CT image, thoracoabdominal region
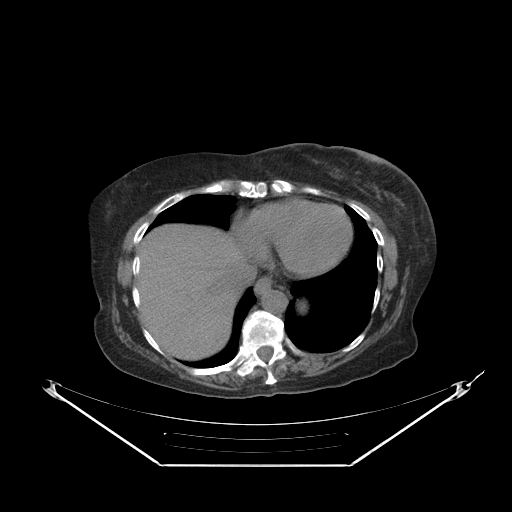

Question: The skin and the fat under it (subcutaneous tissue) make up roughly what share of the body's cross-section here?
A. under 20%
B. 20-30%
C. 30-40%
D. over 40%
Answer: C. 30-40%
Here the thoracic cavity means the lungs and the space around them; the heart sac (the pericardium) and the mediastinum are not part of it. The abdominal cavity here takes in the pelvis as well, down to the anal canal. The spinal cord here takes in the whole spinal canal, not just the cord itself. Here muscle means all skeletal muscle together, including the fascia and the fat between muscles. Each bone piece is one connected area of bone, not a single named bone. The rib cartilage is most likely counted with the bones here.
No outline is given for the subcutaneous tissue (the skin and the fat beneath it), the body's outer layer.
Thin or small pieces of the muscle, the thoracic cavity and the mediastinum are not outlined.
{"torso":[[[294,142],[374,153],[401,168],[422,192],[435,227],[437,256],[413,315],[418,339],[415,353],[391,368],[342,386],[245,399],[180,392],[133,377],[111,364],[93,332],[99,302],[90,277],[86,214],[94,196],[126,172],[159,157],[197,151],[244,154]]],"mediastinum":[[[258,267],[262,269],[265,269],[277,276],[281,276],[288,280],[298,280],[294,280],[290,283],[289,293],[292,298],[289,301],[283,320],[279,316],[264,309],[256,309],[248,313],[251,307],[256,302],[256,297],[253,292],[252,284],[256,277],[256,271]],[[229,193],[252,199],[264,198],[269,194],[272,195],[284,195],[285,194],[294,193],[305,193],[315,196],[323,196],[331,199],[312,197],[301,194],[297,195],[286,194],[285,195],[249,201],[240,205],[233,214],[231,218],[230,227],[230,216],[236,208],[237,200],[235,196],[231,194],[226,194]]],"spinal_cord":[[[263,346],[270,346],[272,348],[272,354],[271,355],[271,356],[270,357],[270,358],[267,361],[265,361],[264,360],[263,360],[262,359],[261,359],[260,358],[260,357],[258,355],[258,354],[257,353],[257,351],[261,347],[262,347]]],"muscle":[[[272,177],[279,177],[315,185],[367,205],[383,220],[396,241],[398,270],[402,272],[407,266],[409,267],[406,294],[401,313],[395,325],[384,336],[354,358],[327,372],[307,377],[298,376],[295,379],[283,381],[277,380],[272,367],[275,362],[284,359],[289,352],[297,357],[304,356],[305,352],[327,353],[339,349],[346,353],[364,339],[366,334],[363,331],[380,300],[377,278],[378,273],[380,274],[383,271],[384,260],[377,250],[378,246],[382,247],[385,244],[385,240],[376,226],[368,225],[367,222],[372,219],[369,213],[353,201],[349,200],[344,203],[326,197],[319,188],[308,184],[303,185],[300,192],[291,193],[296,188],[294,184],[288,180],[282,178],[281,178],[274,178],[268,183],[265,180]],[[156,204],[151,212],[153,220],[144,221],[132,237],[133,244],[138,245],[137,254],[131,261],[137,284],[131,289],[131,298],[134,306],[141,308],[147,326],[147,329],[141,329],[143,337],[158,353],[163,356],[165,353],[186,366],[186,371],[193,376],[215,375],[235,368],[236,374],[244,377],[259,366],[266,371],[265,385],[227,390],[183,379],[128,348],[115,333],[111,319],[112,286],[116,284],[121,246],[132,224]],[[216,180],[219,180],[218,181],[215,181],[214,182],[213,182],[212,183],[210,183],[207,185],[200,186],[199,187],[197,187],[196,188],[193,188],[192,189],[187,189],[186,190],[181,190],[180,191],[178,191],[179,191],[180,190],[182,190],[183,189],[188,189],[189,188],[191,188],[192,187],[195,187],[196,186],[200,186],[201,185],[203,185],[206,183],[208,183],[209,182],[211,182],[212,181],[215,181]]],"abdominal_cavity":[[[168,222],[210,224],[224,230],[230,228],[238,238],[247,244],[253,261],[257,265],[251,286],[245,290],[235,307],[231,335],[227,343],[217,353],[199,360],[176,359],[166,353],[148,330],[141,307],[136,276],[140,272],[138,244],[146,232],[160,224]],[[302,297],[303,297],[304,298],[306,298],[309,301],[309,303],[310,304],[310,308],[309,309],[309,312],[307,314],[307,315],[306,315],[305,316],[300,316],[299,315],[298,315],[296,313],[296,311],[295,310],[295,300],[297,298],[301,298]]],"bones":[{"outer":[[256,310],[279,317],[286,335],[305,353],[297,356],[289,351],[284,358],[275,361],[271,367],[275,383],[265,383],[267,371],[259,365],[244,376],[237,374],[235,367],[207,375],[193,375],[187,371],[188,367],[212,368],[230,361],[239,349],[245,318]],"hole":[[263,346],[270,346],[272,348],[272,354],[271,355],[271,356],[270,357],[270,358],[267,361],[265,361],[264,360],[263,360],[262,359],[261,359],[260,358],[260,357],[258,355],[258,354],[257,353],[257,351],[261,347],[262,347]]},[[223,179],[231,179],[234,182],[239,180],[264,181],[268,184],[274,179],[282,179],[295,186],[290,193],[277,194],[270,191],[266,196],[256,198],[238,195],[234,190],[228,193],[197,193],[185,197],[155,216],[152,212],[160,202],[176,192],[207,186]],[[143,328],[145,328],[151,334],[151,335],[153,337],[153,338],[155,340],[155,341],[158,344],[159,347],[164,352],[164,354],[163,355],[159,352],[158,352],[148,343],[148,342],[146,340],[146,339],[143,335],[143,333],[142,332],[142,329]],[[146,221],[147,221],[150,223],[149,224],[148,227],[146,229],[146,230],[145,231],[143,236],[141,238],[140,241],[138,243],[137,243],[136,244],[134,244],[134,243],[133,242],[133,237],[134,236],[134,234],[135,233],[136,230],[144,222],[145,222]],[[349,201],[351,202],[353,202],[355,204],[358,205],[360,207],[361,207],[366,212],[367,212],[370,216],[370,218],[371,219],[370,221],[366,221],[365,219],[364,219],[359,214],[358,214],[351,207],[350,207],[347,204],[346,204],[346,203]],[[362,332],[363,332],[365,334],[365,335],[364,336],[363,339],[355,347],[354,347],[352,349],[351,349],[350,350],[349,350],[346,352],[344,352],[343,351],[342,351],[342,349],[344,347],[347,346],[357,336],[358,336]],[[373,226],[376,227],[380,231],[380,232],[382,234],[382,235],[383,236],[383,239],[384,240],[384,244],[382,246],[381,246],[380,245],[378,245],[378,244],[375,239],[375,237],[374,236],[374,235],[373,234],[373,233],[370,228],[370,227],[372,227]],[[306,185],[308,185],[309,186],[311,186],[312,187],[315,187],[316,188],[317,188],[318,189],[319,189],[323,193],[323,195],[315,195],[314,194],[312,194],[311,193],[306,193],[305,192],[301,192],[301,188],[303,186],[305,186]],[[134,286],[135,286],[137,288],[137,289],[138,290],[138,292],[139,293],[139,297],[140,298],[140,308],[137,308],[135,306],[135,305],[134,304],[134,302],[133,301],[133,299],[132,298],[132,289],[133,288],[133,287]],[[136,255],[137,255],[138,256],[138,257],[139,258],[139,272],[136,275],[134,275],[134,274],[133,273],[133,271],[132,270],[132,261],[133,260],[133,258],[134,257],[134,256],[135,256]],[[377,286],[379,288],[379,300],[377,303],[377,306],[376,307],[376,308],[375,309],[375,310],[374,311],[374,312],[373,313],[371,313],[371,311],[372,310],[372,307],[373,306],[373,302],[374,301],[374,295],[375,294],[375,290],[376,289],[376,287]],[[377,253],[379,253],[381,255],[381,256],[382,257],[382,259],[383,260],[383,268],[382,269],[382,271],[380,273],[379,273],[378,272],[378,269],[377,268]]],"thoracic_cavity":[{"outer":[[344,204],[365,220],[377,244],[377,277],[370,316],[363,330],[347,345],[327,352],[304,351],[293,343],[285,331],[284,319],[290,301],[293,298],[290,293],[290,286],[294,281],[306,280],[325,274],[348,255],[353,245],[355,230],[350,216],[344,209]],"hole":[[302,297],[303,297],[304,298],[306,298],[309,301],[309,303],[310,304],[310,308],[309,309],[309,312],[307,314],[307,315],[306,315],[305,316],[300,316],[299,315],[298,315],[296,313],[296,311],[295,310],[295,300],[297,298],[301,298]]},[[197,194],[225,194],[235,197],[236,200],[235,201],[235,208],[229,216],[229,227],[227,229],[224,229],[222,227],[210,223],[198,223],[186,221],[168,221],[160,223],[158,225],[152,227],[148,231],[146,231],[156,216],[161,212],[185,198]],[[249,287],[252,288],[252,292],[255,297],[255,302],[248,310],[242,322],[240,330],[240,342],[235,355],[227,362],[212,367],[191,367],[184,365],[180,362],[178,360],[193,362],[209,358],[220,352],[226,346],[232,335],[234,314],[236,307],[240,299]]],"pericardium":[[[286,195],[301,195],[312,198],[331,200],[343,208],[353,224],[354,235],[349,251],[337,265],[324,273],[306,279],[288,279],[281,275],[277,275],[265,268],[262,268],[254,261],[248,244],[243,239],[238,237],[231,229],[232,218],[240,206],[261,199]]]}